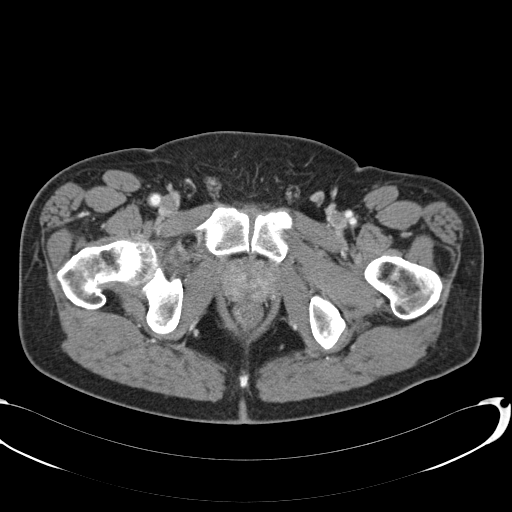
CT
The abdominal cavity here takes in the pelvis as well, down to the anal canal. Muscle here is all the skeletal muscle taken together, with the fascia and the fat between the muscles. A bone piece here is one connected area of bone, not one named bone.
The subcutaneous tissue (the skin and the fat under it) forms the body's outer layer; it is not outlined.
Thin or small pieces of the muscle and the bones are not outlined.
The torso is outlined by [[218,130],[310,138],[344,152],[361,166],[425,174],[455,188],[471,206],[484,244],[482,330],[474,357],[445,375],[370,404],[263,424],[206,423],[138,411],[78,391],[37,370],[20,343],[17,296],[20,232],[38,189],[56,172],[86,157],[153,148]]. The muscle appears in 2 outlined pieces: piece 1: [[107,169],[158,179],[201,205],[237,201],[295,210],[321,191],[357,180],[424,188],[453,208],[463,226],[459,261],[433,353],[410,368],[363,386],[302,400],[264,401],[257,392],[259,367],[305,348],[285,301],[281,297],[280,308],[267,331],[244,354],[212,297],[179,342],[220,361],[226,369],[226,391],[219,400],[194,400],[133,387],[83,367],[61,349],[65,335],[48,285],[39,217],[56,188],[80,173]]; inner edges: [[219,205],[245,212],[252,225],[258,213],[272,210],[285,210],[292,218],[292,227],[284,231],[288,244],[285,257],[281,261],[264,260],[271,270],[273,293],[263,322],[249,337],[223,300],[218,279],[228,258],[211,253],[205,246],[204,232],[193,230]], then [[119,239],[148,240],[155,249],[165,276],[169,280],[173,277],[181,279],[181,313],[172,331],[158,334],[148,325],[148,302],[141,292],[141,284],[103,283],[101,287],[106,302],[97,309],[78,306],[63,292],[56,273],[72,255],[84,247]], then [[384,254],[400,256],[411,262],[414,262],[420,265],[425,266],[433,270],[439,275],[442,283],[442,289],[439,298],[436,303],[425,313],[409,320],[403,320],[398,318],[393,313],[388,298],[375,289],[366,281],[363,275],[363,271],[365,267],[371,260]], then [[315,294],[317,294],[323,298],[329,300],[334,304],[339,310],[340,314],[345,321],[346,324],[344,330],[339,336],[337,341],[332,347],[328,349],[324,349],[316,341],[311,332],[311,328],[309,323],[309,303],[311,297]]; piece 2: [[242,364],[243,365],[248,365],[248,367],[250,370],[250,377],[249,378],[249,392],[248,392],[247,391],[244,391],[243,392],[242,392],[239,390],[239,388],[238,387],[238,378],[237,377],[237,375],[238,374],[238,370]] with a hole at [[243,374],[247,374],[248,375],[248,386],[247,387],[245,387],[244,388],[242,388],[241,387],[240,387],[240,386],[239,385],[239,376],[240,375],[242,375]]. The abdominal cavity is outlined by [[244,252],[251,254],[258,254],[267,258],[264,260],[271,270],[271,278],[272,279],[272,287],[273,288],[270,308],[263,322],[249,337],[247,337],[245,335],[230,310],[224,302],[218,279],[220,276],[223,266],[228,258],[227,257],[224,258],[224,257]]. The bones appear in 4 outlined pieces: piece 1: [[119,239],[148,240],[155,249],[165,276],[169,280],[173,277],[181,279],[181,313],[172,331],[158,334],[148,325],[148,302],[141,292],[141,284],[103,283],[101,287],[106,302],[97,309],[78,306],[63,292],[56,273],[72,255],[84,247]]; piece 2: [[219,205],[234,207],[245,212],[248,214],[252,225],[258,213],[285,210],[292,218],[292,227],[284,231],[284,239],[288,244],[288,251],[285,257],[278,261],[258,253],[245,251],[222,257],[211,253],[205,246],[204,232],[195,232],[193,230],[208,218]]; piece 3: [[384,254],[400,256],[411,262],[414,262],[420,265],[425,266],[433,270],[439,275],[442,283],[442,289],[439,298],[436,303],[425,313],[409,320],[403,320],[398,318],[393,313],[388,298],[375,289],[366,281],[363,275],[363,271],[365,267],[371,260]]; piece 4: [[315,294],[317,294],[323,298],[329,300],[334,304],[339,310],[340,314],[345,321],[346,324],[344,330],[339,336],[337,341],[332,347],[328,349],[324,349],[316,341],[311,332],[311,328],[309,323],[309,303],[311,297]].